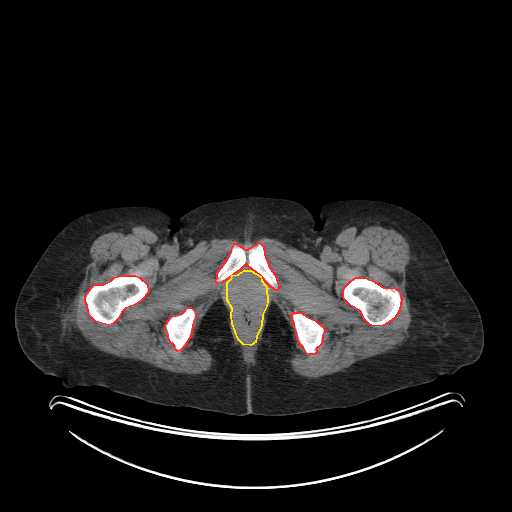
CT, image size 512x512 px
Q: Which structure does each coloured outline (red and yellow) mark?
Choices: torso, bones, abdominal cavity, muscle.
A: red: bones; yellow: abdominal cavity.
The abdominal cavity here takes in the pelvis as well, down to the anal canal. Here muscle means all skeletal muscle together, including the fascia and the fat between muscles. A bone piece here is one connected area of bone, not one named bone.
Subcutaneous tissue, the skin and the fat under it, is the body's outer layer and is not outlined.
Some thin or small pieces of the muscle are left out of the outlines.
{"bones":[[[120,275],[135,275],[139,277],[147,284],[148,292],[141,300],[135,304],[125,308],[121,312],[118,318],[113,323],[108,325],[95,321],[90,316],[88,312],[87,305],[85,302],[85,296],[87,292],[93,285],[95,284],[103,284],[111,280],[114,277]],[[356,277],[364,277],[372,280],[383,287],[386,288],[393,287],[398,290],[400,294],[401,302],[400,303],[399,310],[394,318],[383,325],[373,326],[369,324],[364,319],[361,312],[359,310],[350,305],[344,299],[343,297],[343,289],[344,287],[351,280]],[[259,242],[263,246],[264,254],[268,265],[276,277],[276,280],[278,284],[278,289],[277,290],[275,290],[269,285],[260,275],[248,266],[246,263],[240,269],[222,282],[217,283],[215,281],[217,277],[217,272],[227,259],[234,243],[236,243],[246,250]],[[293,312],[300,312],[306,316],[315,320],[323,327],[324,331],[322,335],[322,341],[321,344],[316,348],[316,352],[314,354],[308,354],[306,353],[303,347],[299,343],[297,338],[296,331],[294,327],[294,323],[292,320],[292,317],[291,316],[291,314]],[[188,307],[190,307],[193,309],[195,313],[195,317],[193,321],[190,337],[188,339],[184,346],[180,350],[177,351],[175,349],[174,345],[172,343],[171,343],[168,339],[168,334],[165,328],[165,324],[171,316],[182,313],[185,310],[185,309]]],"abdominal_cavity":[[[244,270],[250,270],[260,276],[261,280],[267,288],[266,289],[267,300],[266,306],[262,314],[261,325],[256,336],[255,342],[250,345],[243,344],[238,339],[232,323],[231,315],[232,308],[227,300],[227,282],[232,277],[231,276],[232,275],[238,274]]],"muscle":[{"outer":[[122,224],[143,225],[179,248],[193,248],[213,238],[242,242],[266,237],[312,255],[346,227],[388,226],[406,239],[410,249],[405,285],[412,317],[409,337],[395,348],[342,371],[304,377],[287,361],[295,349],[292,327],[272,302],[255,363],[248,366],[240,347],[234,344],[228,310],[219,298],[200,320],[193,338],[214,359],[207,371],[175,373],[104,352],[83,337],[70,322],[70,313],[90,261],[91,244],[106,230]],"holes":[[[259,242],[263,246],[268,265],[276,277],[278,289],[275,290],[261,278],[267,288],[266,306],[255,342],[246,345],[238,339],[232,323],[232,308],[227,300],[227,282],[230,278],[228,277],[220,283],[215,280],[218,270],[227,259],[234,243],[246,250]],[[120,275],[135,275],[139,277],[147,284],[148,292],[141,300],[135,304],[125,308],[121,312],[118,318],[113,323],[108,325],[95,321],[90,316],[88,312],[87,305],[85,302],[85,296],[87,292],[93,285],[95,284],[103,284],[111,280],[114,277]],[[356,277],[364,277],[372,280],[383,287],[386,288],[393,287],[398,290],[400,294],[401,302],[400,303],[399,310],[394,318],[383,325],[373,326],[369,324],[364,319],[361,312],[359,310],[350,305],[344,299],[343,297],[343,289],[344,287],[351,280]],[[293,312],[300,312],[306,316],[315,320],[323,327],[324,331],[322,335],[322,341],[321,344],[316,348],[316,352],[314,354],[308,354],[306,353],[303,347],[299,343],[297,338],[296,331],[294,327],[294,323],[292,320],[292,317],[291,316],[291,314]],[[188,307],[190,307],[193,309],[195,313],[195,317],[193,321],[190,337],[188,339],[184,346],[180,350],[177,351],[175,349],[174,345],[172,343],[171,343],[168,339],[168,334],[165,328],[165,324],[171,316],[182,313],[185,310],[185,309]]]},[[246,264],[247,265],[247,266],[248,267],[249,267],[251,269],[252,269],[254,271],[252,271],[250,269],[244,269],[242,271],[240,271],[238,273],[236,273],[235,274],[234,274],[236,272],[237,272],[239,270],[240,270]]],"torso":[[[249,196],[300,203],[316,230],[323,226],[320,207],[334,200],[380,200],[419,216],[478,307],[479,358],[358,405],[274,416],[156,404],[100,386],[65,387],[44,374],[19,345],[14,307],[64,226],[94,210],[138,205],[168,212],[175,231],[196,206]]]}